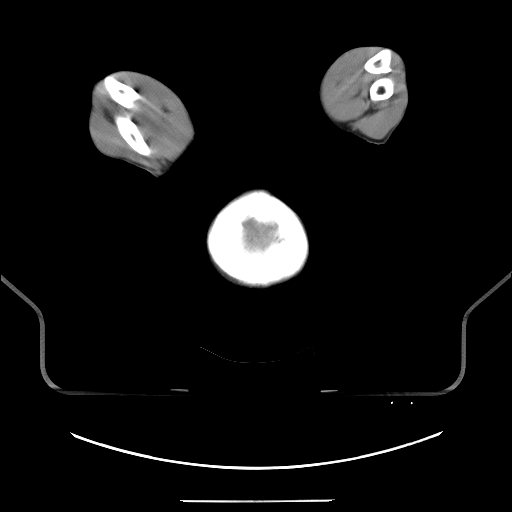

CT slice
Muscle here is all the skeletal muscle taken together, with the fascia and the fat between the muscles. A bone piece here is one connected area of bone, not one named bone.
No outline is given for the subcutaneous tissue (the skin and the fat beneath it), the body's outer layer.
bones 1: 255,188 263,188 268,190 283,200 295,210 301,218 301,220 305,226 309,239 309,255 302,269 288,279 265,286 243,284 228,276 221,271 212,261 206,248 206,232 216,213 228,201 235,196 237,196 238,194 with a hole at 251,219 255,221 258,224 264,224 265,225 271,225 272,226 275,225 275,228 269,232 270,238 268,240 267,243 263,246 259,244 252,244 247,240 246,237 247,232 246,231 246,228 244,226 244,222
bones 2: 382,48 390,48 393,51 390,63 390,66 392,70 385,75 390,77 393,80 394,89 391,96 387,99 373,101 370,98 369,89 371,84 381,76 379,74 374,74 366,71 363,66 365,62 370,57 374,55
bones 3: 128,111 131,114 131,119 138,126 139,129 141,131 144,140 146,143 155,151 154,153 151,154 149,156 142,155 135,151 121,136 116,127 113,118 114,115 116,114 125,114
bones 4: 105,76 107,77 113,77 119,81 131,86 139,94 144,97 145,99 144,100 141,100 140,99 136,100 134,102 136,105 136,108 130,109 129,110 123,107 114,101 105,90 105,84 104,83 104,80 102,78
muscle 1: 123,72 144,76 162,86 177,100 187,118 188,135 174,157 167,159 158,168 107,152 98,145 92,133 91,120 96,86 102,79 104,90 109,97 129,111 137,108 136,101 146,99 131,85 106,75 with a hole at 128,111 131,114 131,119 138,126 139,129 141,131 144,140 146,143 155,151 154,153 151,154 149,156 142,155 135,151 121,136 116,127 113,118 114,115 116,114 125,114
muscle 2: 365,49 379,49 362,66 366,72 380,76 368,89 373,102 387,100 394,93 395,82 386,75 393,70 394,53 403,70 404,107 398,121 380,139 354,129 347,121 334,118 323,99 323,85 334,65 344,56
left arm: 364,45 381,45 391,48 397,51 402,56 406,65 407,86 409,93 408,105 402,120 389,139 383,144 369,143 350,133 346,133 336,127 326,117 322,111 318,100 318,86 324,72 329,65 344,51 353,47
head: 250,188 263,188 268,190 283,200 295,210 305,225 309,239 309,256 305,268 301,274 297,278 290,282 282,285 278,285 267,290 242,289 226,282 216,273 210,264 205,248 206,232 210,222 216,213 232,198
brain: 251,219 255,221 258,224 264,224 265,225 271,225 272,226 275,225 275,228 269,232 270,238 268,240 267,243 263,246 259,244 252,244 247,240 246,237 247,232 246,231 246,228 244,226 244,222
right arm: 120,69 128,69 143,72 164,83 173,90 182,100 192,119 195,128 194,141 172,169 162,177 156,177 147,171 125,161 102,154 96,149 90,139 87,123 88,112 90,107 91,88 96,80 103,78 112,71